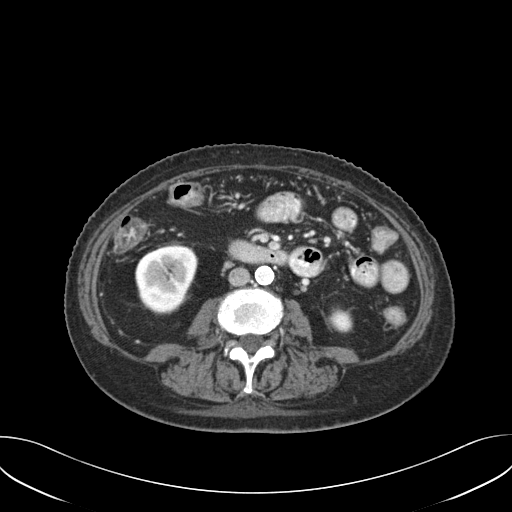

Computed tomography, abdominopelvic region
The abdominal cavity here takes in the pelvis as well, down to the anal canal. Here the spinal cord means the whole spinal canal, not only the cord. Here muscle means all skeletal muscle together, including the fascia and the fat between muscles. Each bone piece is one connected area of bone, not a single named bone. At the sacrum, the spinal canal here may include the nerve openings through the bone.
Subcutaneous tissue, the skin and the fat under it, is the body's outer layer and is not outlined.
The muscle is outlined by 234 163; 240 163; 241 164; 262 163; 267 165; 287 165; 290 164; 317 170; 339 179; 349 181; 371 197; 390 207; 398 213; 410 225; 410 227; 418 235; 423 243; 427 253; 429 255; 430 261; 433 268; 433 272; 434 273; 434 298; 432 303; 432 316; 423 335; 411 347; 408 348; 402 353; 399 353; 388 357; 382 361; 365 364; 360 366; 355 366; 348 369; 343 379; 331 392; 328 393; 325 396; 315 399; 313 401; 309 401; 298 405; 282 405; 281 404; 266 403; 253 396; 249 396; 248 397; 243 397; 237 403; 229 406; 210 406; 209 405; 189 404; 171 395; 157 380; 155 370; 151 366; 134 361; 119 355; 116 351; 100 343; 95 339; 89 332; 90 328; 86 323; 82 315; 81 310; 79 307; 79 302; 77 295; 77 288; 78 287; 77 276; 78 275; 79 265; 87 242; 94 231; 105 218; 122 205; 125 204; 134 197; 149 190; 166 179; 168 179; 180 173; 194 170; 197 168; 213 166; 214 165; 220 165; 221 164; 233 164, around a hole outlined by 245 168; 337 186; 397 230; 419 301; 389 349; 360 357; 315 344; 300 304; 284 298; 275 355; 256 366; 248 394; 242 364; 223 355; 232 337; 217 320; 223 295; 201 304; 190 343; 137 355; 112 339; 96 287; 121 218; 177 180. The abdominal cavity is outlined by 245 168; 337 186; 373 206; 397 230; 415 271; 419 301; 411 324; 389 349; 360 357; 349 346; 315 344; 300 304; 256 285; 206 299; 185 332; 190 343; 157 343; 137 355; 112 339; 98 307; 96 287; 102 257; 121 218; 177 180. The spinal cord is outlined by 247 334; 253 334; 254 335; 261 335; 262 336; 263 336; 264 337; 264 344; 263 345; 262 345; 261 346; 260 346; 253 353; 249 353; 245 349; 244 349; 240 345; 239 345; 238 344; 238 338; 240 336; 242 336; 243 335; 246 335. The torso is outlined by 231 142; 304 147; 344 158; 389 185; 423 220; 442 251; 456 305; 450 353; 425 390; 386 414; 349 426; 301 433; 228 433; 185 429; 148 419; 116 403; 88 377; 70 343; 63 312; 68 258; 87 218; 115 187; 154 161; 191 147. The bones are outlined by 250 286; 271 291; 280 297; 284 313; 280 323; 271 332; 275 355; 260 361; 256 366; 251 380; 252 392; 248 394; 243 391; 246 378; 242 364; 237 360; 232 360; 223 355; 223 349; 232 335; 219 325; 217 310; 218 304; 228 292; inner edge: 247 334; 253 334; 254 335; 261 335; 262 336; 263 336; 264 337; 264 344; 263 345; 262 345; 261 346; 260 346; 253 353; 249 353; 245 349; 244 349; 240 345; 239 345; 238 344; 238 338; 240 336; 242 336; 243 335; 246 335.